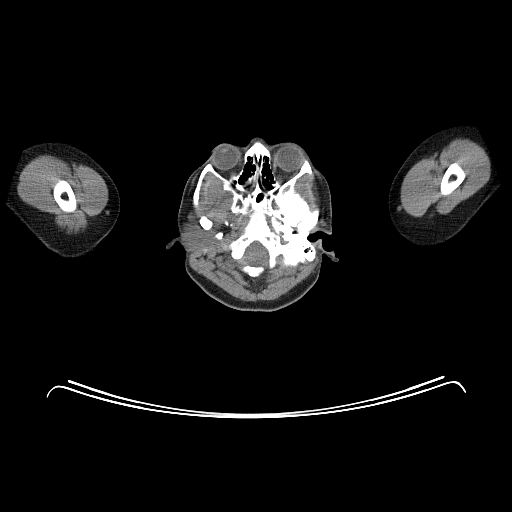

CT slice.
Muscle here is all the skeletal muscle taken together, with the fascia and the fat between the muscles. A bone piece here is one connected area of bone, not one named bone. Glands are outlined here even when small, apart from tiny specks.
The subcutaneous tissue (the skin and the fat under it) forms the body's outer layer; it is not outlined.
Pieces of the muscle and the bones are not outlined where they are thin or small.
The muscle appears in 4 outlined pieces: piece 1: [[207,173],[214,175],[221,182],[222,189],[229,193],[230,212],[248,217],[242,232],[225,246],[242,272],[250,277],[258,277],[277,266],[282,269],[311,262],[316,257],[316,247],[318,261],[313,273],[275,300],[244,301],[229,295],[194,271],[189,264],[190,251],[205,241],[204,230],[209,230],[213,221],[204,213],[198,220],[193,211],[188,213],[190,189],[194,177],[199,174],[192,193],[192,205],[198,209],[200,190]]; inner edge: [[220,231],[221,231],[222,232],[223,233],[223,234],[223,235],[222,236],[222,237],[222,238],[221,239],[220,239],[219,239],[218,239],[217,238],[216,238],[215,237],[215,236],[215,235],[216,234],[216,233],[217,233],[218,232],[219,232]]; piece 2: [[41,154],[58,154],[65,157],[69,157],[73,160],[77,160],[81,164],[94,169],[105,181],[108,189],[108,202],[103,211],[83,232],[77,234],[67,234],[56,226],[49,215],[26,204],[19,198],[17,194],[17,185],[20,173],[23,167],[31,159]], around a hole outlined by [[59,179],[63,179],[64,180],[66,180],[70,185],[74,193],[75,199],[76,200],[76,208],[74,211],[72,211],[71,212],[66,212],[65,211],[63,211],[60,208],[60,207],[58,205],[58,204],[56,202],[54,198],[54,196],[53,195],[53,187]]; piece 3: [[457,137],[469,138],[482,147],[490,164],[489,180],[484,186],[473,195],[460,202],[450,212],[445,214],[441,218],[431,219],[427,219],[424,217],[415,218],[408,215],[399,207],[400,187],[404,176],[417,161],[431,155],[435,151],[439,151],[452,139]]; inner edge: [[453,162],[456,162],[463,169],[463,170],[465,172],[465,177],[462,181],[462,182],[452,192],[451,192],[447,195],[441,195],[440,194],[440,183],[441,182],[442,177],[444,174],[444,172],[446,170],[446,169],[448,167],[448,166],[451,163],[452,163]]; piece 4: [[312,171],[314,174],[321,195],[321,200],[324,208],[324,218],[325,219],[325,224],[314,231],[312,231],[312,230],[318,223],[320,210],[316,205],[313,205],[311,207],[309,203],[295,188],[297,180],[304,174],[311,175],[312,174],[313,173]]. The left arm is outlined by [[460,124],[471,124],[474,125],[478,130],[494,164],[500,183],[500,186],[459,233],[443,243],[435,246],[431,247],[419,247],[416,246],[405,239],[397,231],[390,219],[388,210],[388,194],[391,183],[403,162],[415,147],[424,139],[439,130],[450,126]]. The parotid glands are outlined by [[190,212],[193,212],[196,215],[196,218],[198,222],[201,225],[203,229],[203,232],[204,233],[204,241],[194,250],[190,250],[187,247],[187,245],[186,244],[186,236],[187,235],[185,233],[185,228],[184,227],[184,224],[185,224],[187,221],[187,215]]. The right arm is outlined by [[42,141],[62,141],[72,144],[80,148],[91,156],[108,173],[116,185],[120,199],[120,209],[118,217],[112,229],[99,243],[97,248],[97,252],[89,258],[85,259],[63,258],[47,249],[14,216],[6,205],[10,185],[23,150],[26,147],[32,144]]. The head is outlined by [[254,136],[301,145],[323,174],[331,195],[332,233],[316,231],[308,238],[320,238],[338,258],[324,253],[313,286],[297,301],[269,312],[230,308],[208,296],[187,274],[184,248],[177,242],[166,248],[178,235],[177,214],[190,174],[218,144],[247,145]], around holes outlined by [[249,160],[249,162],[253,166],[254,166],[254,169],[253,170],[252,170],[250,172],[249,175],[244,180],[244,181],[243,182],[240,182],[239,181],[240,180],[240,178],[244,173],[244,168],[245,167],[246,164],[247,164],[248,163]] and by [[265,158],[266,158],[267,160],[266,162],[268,165],[268,167],[270,170],[270,173],[272,176],[272,179],[270,183],[270,186],[271,187],[270,188],[268,187],[268,184],[269,182],[266,176],[264,175],[263,173],[263,169],[266,161],[265,160]]. The brain is outlined by [[254,242],[258,242],[266,250],[267,252],[267,256],[268,257],[267,258],[267,262],[265,264],[265,265],[253,265],[252,264],[249,264],[248,263],[246,263],[246,262],[244,260],[244,255],[245,254],[245,252],[247,248],[252,243]]. The bones appear in 4 outlined pieces: piece 1: [[255,141],[269,148],[282,182],[307,159],[312,173],[301,175],[294,188],[319,214],[308,237],[316,250],[311,261],[277,265],[250,276],[226,248],[243,232],[249,217],[231,212],[231,195],[211,172],[203,177],[198,208],[193,193],[206,164],[228,177]]; inner edges: [[254,242],[258,242],[266,250],[267,252],[267,256],[268,257],[267,258],[267,262],[265,264],[265,265],[253,265],[252,264],[249,264],[248,263],[246,263],[246,262],[244,260],[244,255],[245,254],[245,252],[247,248],[252,243]], then [[249,160],[249,162],[253,166],[254,166],[254,169],[253,170],[252,170],[250,172],[249,175],[244,180],[244,181],[243,182],[240,182],[239,181],[240,180],[240,178],[244,173],[244,168],[245,167],[246,164],[247,164],[248,163]], then [[265,158],[266,158],[267,160],[266,162],[268,165],[268,167],[270,170],[270,173],[272,176],[272,179],[270,183],[270,186],[271,187],[270,188],[268,187],[268,184],[269,182],[266,176],[264,175],[263,173],[263,169],[266,161],[265,160]]; piece 2: [[59,179],[63,179],[64,180],[66,180],[70,185],[74,193],[75,199],[76,200],[76,208],[74,211],[72,211],[71,212],[66,212],[65,211],[63,211],[60,208],[60,207],[58,205],[58,204],[56,202],[54,198],[54,196],[53,195],[53,187]]; piece 3: [[453,162],[456,162],[463,169],[463,170],[465,172],[465,177],[462,181],[462,182],[452,192],[451,192],[447,195],[441,195],[440,194],[440,183],[441,182],[442,177],[444,174],[444,172],[446,170],[446,169],[448,167],[448,166],[451,163],[452,163]]; piece 4: [[204,214],[205,215],[207,215],[207,216],[212,221],[212,226],[209,229],[204,229],[203,228],[203,227],[202,226],[202,225],[199,222],[199,218],[202,215],[203,215]].